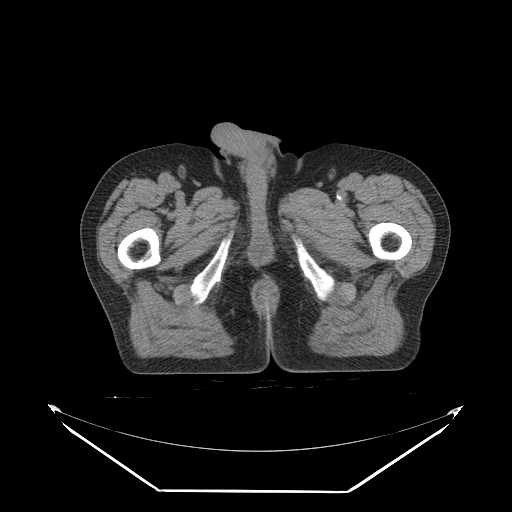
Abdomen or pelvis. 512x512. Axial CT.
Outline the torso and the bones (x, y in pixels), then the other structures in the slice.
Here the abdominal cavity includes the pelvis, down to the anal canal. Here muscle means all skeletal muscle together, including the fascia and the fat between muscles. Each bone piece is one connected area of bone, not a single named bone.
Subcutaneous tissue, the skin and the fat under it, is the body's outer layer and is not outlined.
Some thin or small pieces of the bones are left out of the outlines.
Outlines (x, y in pixels):
torso: [[222,121],[277,136],[282,151],[298,155],[332,142],[386,150],[429,177],[446,205],[451,235],[442,273],[424,306],[420,350],[410,365],[288,372],[271,359],[257,373],[126,369],[84,267],[83,209],[108,167],[134,151],[181,142],[218,156],[210,131]]
bones 1: [[144,227],[152,228],[155,231],[160,242],[159,244],[159,252],[160,253],[161,259],[159,263],[154,266],[150,266],[141,269],[131,269],[128,268],[124,266],[119,260],[117,256],[117,246],[121,240],[126,235],[133,231],[135,231]]
bones 2: [[380,222],[393,222],[394,223],[399,224],[403,226],[410,234],[411,236],[411,247],[409,251],[401,258],[397,259],[396,260],[384,260],[383,259],[376,257],[373,254],[371,246],[368,240],[368,234],[369,233],[369,230],[370,228],[373,225]]
bones 3: [[230,231],[233,232],[233,236],[228,249],[227,257],[221,271],[221,279],[220,281],[217,282],[212,287],[206,299],[202,303],[195,304],[194,303],[195,298],[191,294],[190,291],[190,286],[192,283],[192,281],[194,277],[211,260],[216,252],[222,239]]
bones 4: [[293,235],[295,235],[300,238],[305,249],[308,253],[334,279],[333,289],[327,296],[326,300],[324,301],[321,300],[317,296],[313,286],[310,281],[304,275],[299,265],[297,258],[297,254],[296,253],[296,249],[292,240],[292,236]]
abdominal cavity: [[262,278],[267,278],[269,279],[271,281],[276,292],[275,301],[273,303],[273,305],[271,306],[269,310],[267,310],[266,311],[264,311],[264,310],[258,305],[258,304],[256,302],[256,299],[254,295],[254,286],[255,286],[259,281],[259,280]]
muscle 1: [[145,166],[169,170],[186,189],[220,187],[249,218],[271,218],[286,193],[301,187],[328,191],[352,171],[388,172],[409,180],[427,200],[436,231],[427,268],[398,291],[397,306],[406,331],[403,345],[382,356],[334,357],[312,352],[306,338],[317,318],[315,302],[294,264],[280,260],[259,267],[237,262],[223,279],[217,312],[236,338],[234,353],[203,359],[137,357],[129,339],[129,303],[97,261],[96,227],[122,177]]; inner edges: [[144,227],[152,228],[155,231],[160,242],[159,244],[159,252],[160,253],[161,259],[159,263],[154,266],[150,266],[141,269],[131,269],[128,268],[124,266],[119,260],[117,256],[117,246],[121,240],[126,235],[133,231],[135,231]], then [[380,222],[393,222],[394,223],[399,224],[403,226],[410,234],[411,236],[411,247],[409,251],[401,258],[397,259],[396,260],[384,260],[383,259],[376,257],[373,254],[371,246],[368,240],[368,234],[369,233],[369,230],[370,228],[373,225]], then [[230,231],[233,232],[233,236],[228,249],[227,257],[221,271],[221,279],[220,281],[217,282],[212,287],[206,299],[202,303],[195,304],[194,303],[195,298],[191,294],[190,291],[190,286],[192,283],[192,281],[194,277],[211,260],[216,252],[222,239]], then [[293,235],[295,235],[300,238],[305,249],[308,253],[334,279],[333,289],[327,296],[326,300],[324,301],[321,300],[317,296],[313,286],[310,281],[304,275],[299,265],[297,258],[297,254],[296,253],[296,249],[292,240],[292,236]]
muscle 2: [[262,274],[267,274],[274,278],[277,285],[279,287],[279,292],[280,293],[279,302],[274,315],[271,317],[267,317],[266,318],[264,318],[261,316],[259,317],[257,313],[254,310],[251,300],[251,296],[250,295],[250,289],[253,279],[256,276]]; inner edge: [[262,278],[267,278],[269,279],[271,281],[276,292],[276,295],[275,296],[275,301],[273,303],[273,305],[271,306],[270,309],[267,311],[264,311],[264,310],[258,305],[258,304],[256,302],[256,299],[254,295],[254,286],[255,286],[259,281],[259,280]]